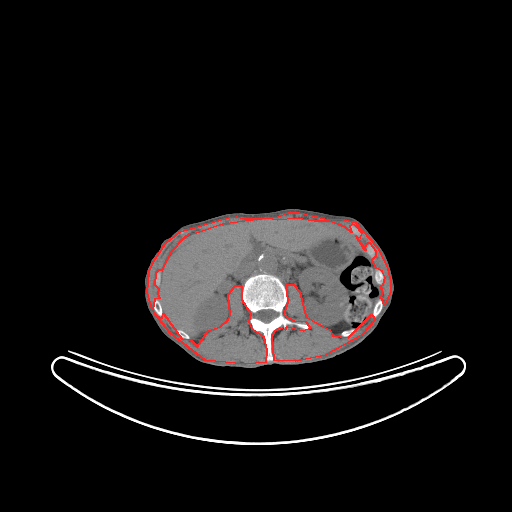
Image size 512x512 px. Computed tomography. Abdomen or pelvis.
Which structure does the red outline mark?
red: muscle.
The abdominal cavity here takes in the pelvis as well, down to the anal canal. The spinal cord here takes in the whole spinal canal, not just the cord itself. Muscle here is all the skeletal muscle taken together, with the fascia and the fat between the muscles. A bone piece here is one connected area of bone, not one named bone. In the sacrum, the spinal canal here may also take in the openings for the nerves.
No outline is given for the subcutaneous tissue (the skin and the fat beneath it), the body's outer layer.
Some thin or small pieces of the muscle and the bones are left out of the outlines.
The muscle appears in 3 outlined pieces: piece 1: (235, 285) (241, 286) (241, 299) (250, 313) (248, 322) (251, 328) (263, 336) (266, 350) (265, 362) (245, 364) (205, 360) (170, 333) (154, 313) (159, 317) (162, 317) (163, 313) (181, 338) (190, 339) (197, 346) (208, 330) (220, 326) (228, 319) (230, 315) (228, 294); piece 2: (286, 284) (293, 284) (299, 291) (305, 316) (329, 329) (332, 335) (348, 337) (371, 314) (375, 319) (361, 335) (325, 355) (295, 361) (274, 360) (272, 335) (275, 330) (280, 327) (285, 329) (287, 326) (303, 330) (310, 327) (306, 322) (294, 321) (284, 315) (288, 301); piece 3: (288, 212) (299, 212) (324, 218) (344, 219) (355, 222) (376, 246) (386, 265) (390, 281) (390, 291) (384, 305) (382, 299) (379, 297) (382, 294) (382, 289) (380, 286) (383, 284) (385, 277) (382, 271) (376, 268) (372, 259) (376, 255) (376, 251) (370, 243) (367, 243) (364, 247) (365, 250) (364, 249) (356, 236) (360, 237) (362, 233) (356, 226) (352, 224) (349, 226) (351, 232) (345, 227) (329, 221) (314, 221) (296, 218) (277, 220) (267, 218) (222, 224) (196, 233) (188, 234) (184, 237) (169, 253) (161, 270) (158, 270) (155, 273) (154, 284) (158, 288) (157, 293) (159, 298) (154, 299) (152, 309) (147, 292) (149, 271) (155, 258) (165, 243) (180, 231) (228, 217) (236, 216) (244, 218) (261, 218) (277, 216). The torso is outlined by (284, 208) (301, 208) (343, 214) (359, 220) (381, 246) (391, 268) (394, 291) (388, 309) (375, 329) (363, 341) (329, 359) (296, 365) (272, 364) (254, 368) (221, 367) (194, 359) (161, 332) (146, 307) (144, 275) (150, 259) (161, 241) (184, 224) (231, 212) (257, 213). The abdominal cavity is outlined by (267, 219) (329, 222) (355, 236) (373, 262) (381, 289) (371, 313) (359, 327) (345, 329) (341, 336) (332, 334) (306, 316) (300, 291) (293, 283) (285, 285) (272, 273) (255, 273) (242, 287) (231, 287) (227, 319) (194, 344) (163, 312) (158, 292) (166, 259) (188, 235). The spinal cord is outlined by (261, 310) (273, 310) (277, 314) (276, 315) (276, 316) (273, 319) (272, 319) (269, 322) (264, 322) (263, 321) (262, 321) (260, 319) (258, 319) (255, 316) (255, 314) (258, 311) (260, 311). The bones appear in 5 outlined pieces: piece 1: (261, 273) (275, 275) (285, 286) (287, 301) (282, 311) (283, 315) (291, 321) (306, 323) (309, 327) (303, 329) (287, 325) (285, 328) (280, 326) (275, 329) (271, 335) (272, 361) (266, 359) (264, 336) (252, 328) (249, 322) (251, 313) (242, 299) (242, 288) (246, 279); inner edge: (261, 310) (273, 310) (277, 314) (276, 315) (276, 316) (273, 319) (272, 319) (269, 322) (264, 322) (263, 321) (262, 321) (260, 319) (258, 319) (255, 316) (255, 314) (258, 311) (260, 311); piece 2: (378, 298) (380, 298) (381, 299) (381, 300) (382, 301) (382, 303) (383, 304) (383, 306) (382, 307) (382, 309) (381, 310) (381, 311) (380, 312) (380, 313) (376, 317) (373, 317) (372, 316) (372, 312) (373, 311) (373, 308) (374, 307) (374, 305) (376, 302) (376, 300); piece 3: (367, 244) (370, 244) (372, 246) (372, 247) (374, 249) (374, 250) (375, 251) (375, 255) (373, 257) (370, 257) (370, 256) (369, 255) (368, 255) (368, 254) (366, 252) (366, 249) (365, 248) (365, 247) (366, 246) (366, 245); piece 4: (177, 329) (181, 329) (182, 330) (183, 330) (185, 332) (186, 332) (190, 336) (190, 338) (189, 339) (186, 339) (185, 338) (183, 338) (182, 337) (181, 337) (177, 333) (177, 332) (176, 331) (176, 330); piece 5: (351, 225) (352, 225) (353, 226) (354, 226) (355, 227) (356, 227) (359, 230) (359, 231) (361, 233) (361, 235) (360, 236) (358, 236) (357, 235) (356, 235) (354, 233) (353, 233) (352, 232) (352, 231) (350, 229) (350, 226).